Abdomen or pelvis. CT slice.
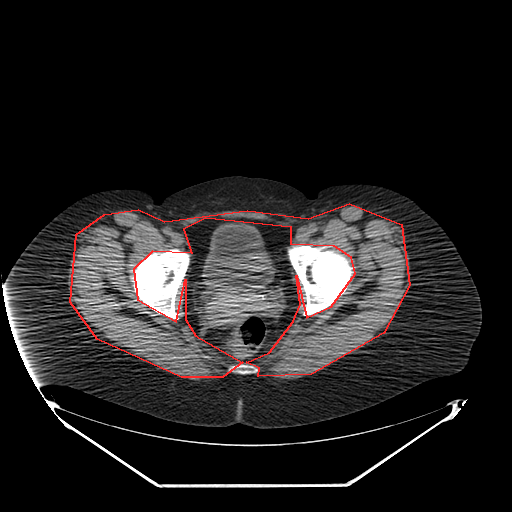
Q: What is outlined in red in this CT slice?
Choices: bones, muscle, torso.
A: red: muscle.
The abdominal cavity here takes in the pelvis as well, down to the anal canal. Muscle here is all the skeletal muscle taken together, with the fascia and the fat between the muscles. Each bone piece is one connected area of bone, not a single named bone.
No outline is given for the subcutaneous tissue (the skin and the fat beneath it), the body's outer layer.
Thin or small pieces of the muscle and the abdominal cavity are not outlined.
Outlines (x, y in pixels):
muscle: 349 203; 401 224; 409 285; 383 333; 311 374; 258 376; 259 368; 246 362; 269 352; 293 321; 300 304; 296 275; 306 317; 331 306; 355 273; 351 257; 334 246; 291 244; 291 227; 205 218; 183 229; 191 253; 152 251; 133 269; 137 299; 176 321; 185 279; 185 319; 195 335; 242 362; 222 377; 181 377; 97 339; 70 302; 76 234; 104 214; 138 209; 164 221; 247 210; 308 218
bones 1: 290 245; 309 245; 312 247; 331 246; 338 249; 349 256; 355 266; 354 273; 351 280; 348 283; 346 291; 331 305; 311 315; 307 315; 306 316; 302 315; 305 303; 305 292; 302 288; 302 284; 300 282; 295 270; 288 259; 286 249
bones 2: 172 248; 178 248; 191 254; 190 263; 187 268; 185 276; 176 292; 174 308; 179 317; 179 319; 177 320; 164 315; 160 315; 152 310; 143 301; 138 299; 138 296; 133 289; 131 281; 131 278; 137 263; 146 255; 152 252; 164 252
bones 3: 243 362; 252 364; 256 367; 257 367; 258 368; 258 371; 256 373; 254 373; 253 374; 245 374; 243 375; 242 374; 236 374; 235 373; 232 373; 231 372; 229 372; 227 370; 228 367; 230 365; 232 364; 238 364; 239 363; 242 363
torso: 231 175; 281 181; 308 198; 330 185; 369 183; 414 200; 453 241; 480 296; 481 329; 465 367; 347 415; 281 428; 178 423; 68 386; 36 383; 12 332; 4 283; 32 238; 67 206; 94 192; 141 189; 159 203; 190 185
abdominal cavity: 214 217; 254 219; 294 230; 290 244; 285 250; 287 259; 295 272; 293 281; 299 300; 296 314; 273 347; 252 361; 241 361; 231 355; 216 351; 196 335; 186 319; 184 295; 187 281; 185 277; 191 263; 192 250; 184 235; 184 229